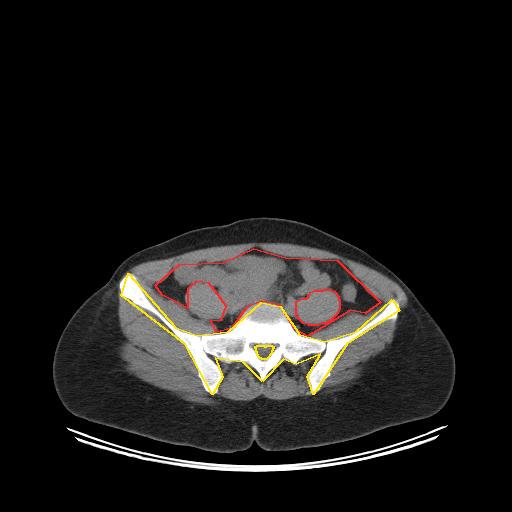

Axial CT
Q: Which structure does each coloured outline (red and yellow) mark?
A: red: abdominal cavity; yellow: bones.
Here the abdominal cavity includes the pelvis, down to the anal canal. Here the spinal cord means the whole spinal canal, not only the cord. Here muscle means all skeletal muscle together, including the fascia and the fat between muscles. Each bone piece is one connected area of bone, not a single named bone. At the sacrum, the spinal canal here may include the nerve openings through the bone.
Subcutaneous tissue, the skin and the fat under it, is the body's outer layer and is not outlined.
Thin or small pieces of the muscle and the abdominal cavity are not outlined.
{"abdominal_cavity":[{"outer":[[253,248],[285,257],[337,260],[380,302],[365,313],[350,310],[307,336],[294,328],[280,305],[261,301],[246,307],[231,328],[216,332],[211,320],[221,319],[226,306],[209,283],[196,281],[187,289],[187,308],[162,295],[155,285],[179,264],[223,262]],"hole":[[323,289],[330,289],[334,291],[338,296],[338,298],[339,299],[339,309],[337,313],[328,322],[326,323],[322,323],[318,325],[309,325],[308,324],[303,323],[296,316],[296,301],[302,298],[306,298],[309,295],[310,292],[314,290],[322,290]]}],"bones":[{"outer":[[128,273],[175,327],[197,335],[228,331],[261,302],[280,306],[299,334],[324,341],[356,331],[392,299],[399,310],[347,343],[313,394],[307,376],[320,354],[296,364],[283,359],[262,381],[243,362],[215,358],[222,377],[212,394],[185,344],[121,295]],"hole":[[257,345],[263,345],[264,346],[266,346],[267,345],[271,345],[272,346],[273,346],[273,348],[271,351],[271,353],[266,359],[262,359],[261,358],[260,358],[258,356],[258,355],[257,354],[257,352],[256,351],[256,349],[255,348],[255,346],[256,346]]}],"torso":[[[261,216],[301,221],[334,235],[371,255],[410,288],[453,349],[455,381],[445,405],[427,418],[343,442],[277,451],[264,450],[253,442],[249,448],[231,453],[161,442],[72,414],[55,390],[52,363],[58,339],[77,308],[133,253],[192,229]]],"spinal_cord":[[[257,345],[263,345],[264,346],[266,346],[267,345],[271,345],[272,346],[273,346],[273,348],[271,351],[271,353],[266,359],[262,359],[261,358],[260,358],[258,356],[258,355],[257,354],[257,352],[256,351],[256,349],[255,348],[255,346],[256,346]]],"muscle":[[[118,282],[123,298],[155,315],[184,344],[202,387],[212,395],[223,377],[215,359],[243,363],[262,382],[283,360],[296,365],[309,355],[320,355],[306,376],[309,393],[313,395],[331,375],[347,344],[388,320],[397,319],[396,328],[392,341],[343,389],[316,397],[203,405],[124,369]],[[249,242],[306,245],[357,261],[396,282],[407,296],[407,305],[398,318],[400,303],[392,298],[379,313],[351,333],[327,340],[310,336],[350,311],[365,314],[381,302],[337,259],[285,256],[253,247],[223,261],[179,263],[167,277],[154,285],[162,296],[180,302],[187,309],[185,295],[196,282],[209,284],[223,301],[224,315],[210,320],[214,333],[197,334],[182,330],[150,301],[132,272],[123,274],[142,262],[201,248]],[[323,289],[330,289],[334,291],[338,296],[338,298],[339,299],[339,309],[337,313],[328,322],[326,323],[322,323],[318,325],[309,325],[308,324],[303,323],[296,316],[296,301],[302,298],[306,298],[309,295],[310,292],[314,290],[322,290]]]}